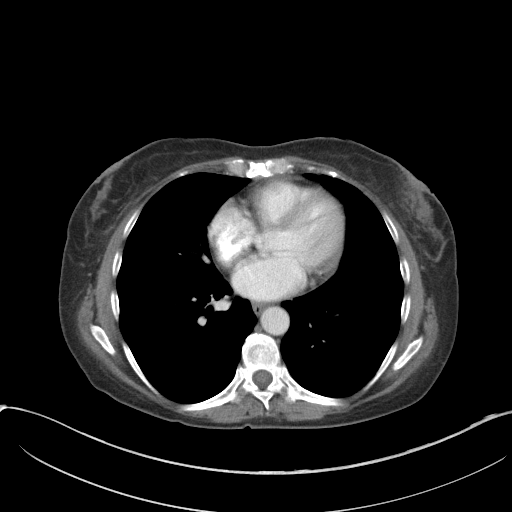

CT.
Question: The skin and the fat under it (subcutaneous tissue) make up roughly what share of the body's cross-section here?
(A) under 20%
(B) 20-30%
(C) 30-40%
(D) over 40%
Answer: (B) 20-30%
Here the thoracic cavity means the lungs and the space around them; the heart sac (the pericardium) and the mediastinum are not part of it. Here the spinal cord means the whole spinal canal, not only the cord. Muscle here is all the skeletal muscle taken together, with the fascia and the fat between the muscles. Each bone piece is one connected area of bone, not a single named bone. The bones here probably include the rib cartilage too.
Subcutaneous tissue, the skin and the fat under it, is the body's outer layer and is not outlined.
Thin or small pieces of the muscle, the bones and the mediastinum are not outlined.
Outlines (x, y in pixels):
torso: [[175,136],[216,137],[248,145],[313,136],[349,138],[391,156],[429,187],[445,208],[455,235],[459,309],[451,353],[422,398],[393,413],[343,427],[204,430],[131,408],[89,382],[66,345],[58,314],[58,284],[69,217],[86,188],[109,165],[151,141]]
muscle: [[284,155],[325,163],[342,171],[369,189],[388,208],[414,251],[426,295],[433,297],[439,328],[435,346],[427,360],[389,393],[320,419],[290,421],[256,417],[219,423],[165,408],[101,365],[80,339],[76,311],[88,284],[95,283],[111,236],[134,202],[170,173],[196,162],[241,157],[223,162],[229,174],[209,171],[189,173],[187,169],[179,171],[176,178],[132,212],[122,230],[121,236],[125,239],[123,249],[115,251],[111,264],[116,289],[110,291],[109,300],[124,340],[121,347],[133,371],[153,393],[160,393],[180,403],[179,408],[186,412],[214,408],[229,402],[238,403],[242,399],[242,392],[258,399],[267,411],[270,409],[269,401],[276,393],[283,395],[289,403],[302,400],[338,407],[343,404],[341,398],[362,388],[363,391],[370,388],[394,358],[400,323],[403,325],[406,322],[411,307],[411,296],[404,294],[404,284],[410,282],[410,267],[404,256],[399,257],[396,245],[400,238],[394,222],[386,211],[380,212],[365,194],[337,171],[310,164],[306,167],[307,171],[292,172],[295,165],[281,156]], around holes outlined by [[420,336],[422,336],[423,338],[423,340],[422,341],[421,346],[419,348],[417,352],[415,354],[414,354],[401,368],[395,371],[393,370],[392,369],[392,365],[393,363],[404,351],[404,350],[406,348],[408,344],[410,342],[411,342],[413,340],[416,339]] and by [[91,324],[94,324],[95,325],[97,325],[104,330],[105,333],[107,335],[109,339],[109,341],[111,343],[111,344],[116,351],[116,353],[114,355],[111,355],[109,353],[108,353],[95,339],[95,338],[91,333],[91,331],[90,330],[90,325]]
bones 1: [[252,332],[274,339],[281,360],[297,383],[314,393],[340,398],[342,404],[322,405],[302,399],[289,402],[276,392],[269,399],[267,410],[258,398],[242,391],[238,402],[229,401],[201,410],[182,410],[181,404],[206,400],[229,384],[241,361],[244,341]]; inner edge: [[259,370],[265,370],[266,371],[267,371],[271,375],[271,380],[270,381],[270,382],[264,388],[261,388],[260,387],[259,387],[254,382],[254,381],[253,380],[253,375],[254,374],[254,373],[255,372],[256,372],[257,371],[258,371]]
bones 2: [[281,157],[285,158],[294,165],[291,172],[276,174],[269,177],[258,176],[249,178],[244,176],[242,177],[233,175],[230,174],[230,172],[224,163],[227,160],[235,158],[242,158],[245,161],[252,160],[257,162],[264,161],[269,158],[275,159]]
bones 3: [[420,336],[422,336],[423,338],[423,340],[422,341],[421,346],[419,348],[417,352],[415,354],[414,354],[401,368],[395,371],[393,370],[392,369],[392,365],[393,363],[404,351],[404,350],[406,348],[408,344],[410,342],[411,342],[413,340],[416,339]]
bones 4: [[123,341],[125,341],[125,342],[129,347],[136,362],[138,364],[143,374],[148,380],[148,381],[158,391],[159,393],[158,394],[156,394],[154,392],[153,392],[141,380],[141,379],[137,375],[137,374],[130,365],[124,353],[124,351],[122,347],[122,342]]
bones 5: [[395,340],[397,341],[397,348],[396,349],[396,351],[393,356],[393,358],[391,362],[381,374],[381,375],[377,379],[377,380],[366,390],[363,390],[364,386],[374,376],[374,375],[376,373],[378,368],[380,366],[387,352],[389,350],[390,347]]
bones 6: [[91,324],[94,324],[95,325],[97,325],[104,330],[105,333],[107,335],[109,339],[109,341],[111,343],[111,344],[116,351],[116,353],[114,355],[111,355],[109,353],[108,353],[95,339],[95,338],[91,333],[91,331],[90,330],[90,325]]
bones 7: [[382,211],[384,211],[387,213],[387,214],[393,222],[393,223],[397,230],[397,232],[398,233],[398,237],[399,238],[399,241],[397,244],[395,244],[395,243],[392,238],[392,236],[391,235],[391,234],[382,217],[382,215],[381,214],[381,212]]
bones 8: [[405,294],[408,294],[410,296],[410,307],[409,308],[409,312],[408,313],[408,315],[407,316],[407,318],[406,319],[406,320],[405,321],[405,322],[403,324],[402,324],[400,322],[400,312],[401,311],[401,304],[402,303],[402,300],[403,299],[403,296]]
bones 9: [[139,207],[142,208],[138,215],[138,217],[134,225],[132,227],[127,237],[126,238],[123,238],[122,235],[123,234],[123,230],[124,229],[124,227],[126,223],[128,221],[129,218],[131,216],[133,212],[137,208]]
bones 10: [[113,289],[115,289],[117,292],[117,296],[118,297],[118,301],[119,302],[119,318],[117,321],[115,319],[115,318],[114,317],[114,315],[112,312],[112,309],[111,308],[111,301],[110,300],[110,293],[111,292],[111,291]]
bones 11: [[401,257],[404,257],[406,259],[406,260],[408,263],[408,266],[409,267],[409,282],[408,283],[408,284],[405,284],[404,283],[404,282],[403,281],[403,279],[401,276],[401,273],[400,272],[400,266],[399,265],[399,258],[400,258]]
bones 12: [[310,165],[314,166],[317,168],[320,168],[321,169],[326,169],[327,170],[332,170],[333,171],[335,171],[337,172],[344,179],[344,180],[340,178],[338,178],[337,177],[332,177],[329,175],[323,174],[322,173],[310,172],[307,170],[307,167]]
bones 13: [[117,250],[121,250],[122,251],[122,255],[121,256],[121,263],[120,264],[120,267],[119,268],[119,271],[117,274],[117,276],[116,277],[114,277],[112,275],[112,264],[113,263],[113,259],[114,258],[114,255],[115,254],[115,253]]
mediastinum: [[249,300],[254,302],[263,302],[264,303],[283,301],[281,302],[281,306],[289,314],[289,319],[290,320],[289,321],[289,327],[282,337],[280,341],[279,347],[275,339],[270,335],[263,332],[253,331],[253,329],[257,322],[257,318],[252,310],[252,307]]
pericardium: [[273,176],[289,176],[301,178],[321,185],[335,196],[341,202],[345,214],[344,246],[339,263],[334,273],[314,289],[302,295],[293,297],[291,299],[268,302],[254,301],[236,293],[226,278],[216,267],[208,245],[207,227],[217,210],[228,198],[256,180]]
thoracic cavity 1: [[197,172],[249,179],[216,210],[207,224],[206,239],[211,261],[228,282],[232,293],[249,301],[256,322],[243,341],[240,361],[228,384],[206,399],[181,403],[166,397],[149,381],[124,339],[119,324],[120,302],[116,286],[126,239],[143,207],[168,183]]
thoracic cavity 2: [[306,172],[345,181],[372,202],[396,247],[403,282],[399,327],[393,342],[373,376],[361,388],[342,397],[323,395],[302,386],[290,374],[280,351],[291,320],[282,302],[302,296],[328,280],[337,270],[345,246],[346,214],[342,202],[317,180],[305,177]]
spinal cord: [[259,370],[265,370],[266,371],[267,371],[271,375],[271,380],[270,381],[270,382],[264,388],[261,388],[260,387],[259,387],[254,382],[254,381],[253,380],[253,375],[254,374],[254,373],[255,372],[256,372],[257,371],[258,371]]